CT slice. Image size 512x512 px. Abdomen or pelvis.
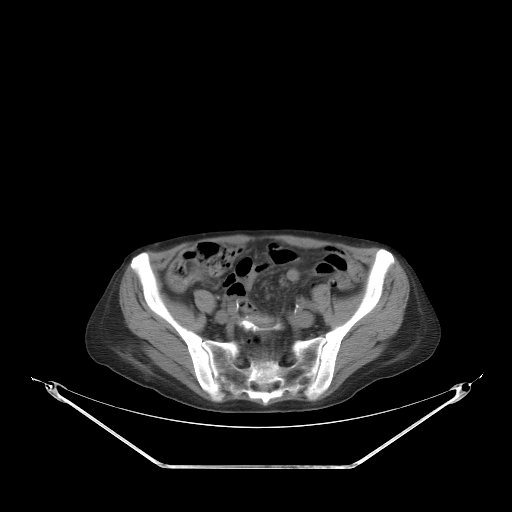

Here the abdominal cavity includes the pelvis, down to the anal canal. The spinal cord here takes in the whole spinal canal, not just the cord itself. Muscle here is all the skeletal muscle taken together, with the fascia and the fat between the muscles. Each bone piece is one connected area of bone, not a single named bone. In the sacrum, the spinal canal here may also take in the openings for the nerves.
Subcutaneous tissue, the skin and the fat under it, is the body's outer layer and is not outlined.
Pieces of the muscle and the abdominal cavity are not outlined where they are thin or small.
The abdominal cavity is outlined by [[265,239],[302,248],[333,246],[366,268],[361,288],[352,295],[336,296],[325,284],[311,290],[324,332],[296,339],[277,359],[248,358],[236,341],[203,335],[205,314],[216,307],[210,291],[195,289],[194,306],[163,290],[166,267],[179,251],[204,241]]. The torso is outlined by [[241,228],[311,229],[391,245],[412,266],[436,312],[441,326],[441,338],[436,350],[427,360],[395,376],[379,379],[341,403],[316,410],[273,413],[225,413],[195,408],[141,386],[95,362],[84,345],[86,322],[112,274],[130,251],[138,246],[178,235]]. The spinal cord appears in 3 outlined pieces: piece 1: [[278,382],[279,383],[279,384],[276,387],[275,387],[273,389],[272,389],[269,391],[267,391],[266,390],[257,390],[256,389],[253,389],[252,388],[252,384],[253,383],[257,387],[262,387],[263,386],[272,386]]; piece 2: [[236,358],[237,358],[238,358],[239,359],[240,359],[241,359],[242,360],[242,361],[243,362],[243,363],[244,364],[243,364],[242,364],[241,364],[240,364],[239,364],[238,363],[237,362],[236,361],[235,360],[236,359]]; piece 3: [[287,357],[288,357],[289,357],[290,357],[290,358],[290,359],[290,360],[290,361],[289,361],[288,361],[287,361],[286,360],[286,359],[286,358]]. The muscle appears in 4 outlined pieces: piece 1: [[236,234],[285,234],[341,242],[356,247],[379,247],[368,270],[363,295],[357,307],[344,322],[325,332],[324,317],[314,305],[312,290],[325,285],[336,297],[348,297],[362,288],[366,265],[348,251],[333,245],[302,247],[271,238],[234,243],[204,240],[179,250],[165,267],[162,290],[170,298],[194,307],[195,290],[206,290],[214,296],[215,307],[204,314],[204,339],[180,324],[166,306],[146,251],[161,251],[183,242]]; piece 2: [[394,255],[404,269],[410,285],[409,297],[404,311],[404,317],[400,327],[389,346],[381,355],[358,368],[331,394],[323,399],[316,400],[329,388],[332,382],[337,356],[344,337],[352,327],[367,315],[379,302],[383,293],[386,275],[390,267],[395,262]]; piece 3: [[129,263],[130,268],[135,273],[139,280],[145,303],[151,311],[167,322],[176,331],[177,334],[185,343],[192,363],[195,378],[201,389],[208,394],[212,401],[200,396],[179,380],[161,370],[141,350],[132,333],[121,318],[119,305],[119,285],[126,266]]; piece 4: [[300,390],[302,390],[303,394],[307,398],[307,399],[309,401],[315,401],[303,401],[302,400],[283,400],[268,405],[261,405],[256,402],[243,399],[234,399],[223,402],[214,402],[220,402],[222,400],[222,399],[226,395],[225,391],[227,391],[234,396],[244,393],[252,400],[260,399],[265,405],[271,399],[281,397],[285,392],[294,396]]. The bones are outlined by [[379,248],[394,262],[376,305],[343,337],[328,388],[315,400],[300,389],[265,404],[227,390],[220,401],[211,399],[186,343],[150,309],[130,266],[147,252],[160,296],[180,325],[204,340],[234,341],[248,359],[277,360],[296,340],[323,336],[354,313]] with a hole at [[278,382],[279,383],[279,384],[276,387],[275,387],[273,389],[272,389],[269,391],[267,391],[266,390],[257,390],[256,389],[253,389],[252,388],[252,384],[253,383],[257,387],[262,387],[263,386],[272,386]].